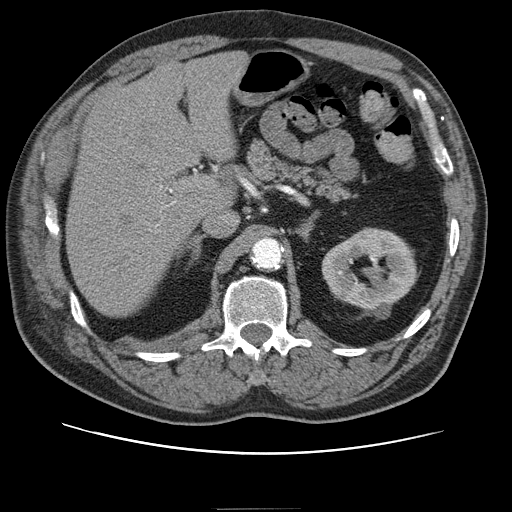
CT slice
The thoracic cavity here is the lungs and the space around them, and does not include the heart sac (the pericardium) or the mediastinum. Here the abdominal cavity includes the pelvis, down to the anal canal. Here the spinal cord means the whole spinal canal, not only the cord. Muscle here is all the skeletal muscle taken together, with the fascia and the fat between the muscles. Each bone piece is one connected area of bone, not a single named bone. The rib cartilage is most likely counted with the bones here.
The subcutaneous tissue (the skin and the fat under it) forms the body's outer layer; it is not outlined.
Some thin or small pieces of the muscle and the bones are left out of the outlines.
{"spinal_cord":[[[257,323],[259,324],[263,324],[267,326],[271,330],[271,334],[270,336],[266,340],[265,340],[260,345],[258,346],[256,346],[252,344],[250,342],[249,342],[247,340],[243,338],[240,334],[241,330],[245,326],[249,325],[250,324],[256,324]]],"bones":[{"outer":[[244,275],[262,275],[283,284],[288,302],[287,330],[295,337],[308,338],[312,342],[311,346],[294,346],[284,357],[271,348],[258,361],[240,348],[231,357],[221,348],[207,351],[201,349],[203,343],[216,338],[223,331],[221,305],[224,292],[231,281]],"hole":[[257,323],[259,324],[263,324],[267,326],[271,330],[271,334],[270,336],[266,340],[265,340],[260,345],[258,346],[256,346],[252,344],[250,342],[249,342],[247,340],[243,338],[240,334],[241,330],[245,326],[249,325],[250,324],[256,324]]},[[414,87],[418,87],[422,89],[427,96],[427,99],[433,112],[439,134],[453,164],[454,171],[451,175],[446,175],[443,173],[434,160],[434,157],[432,153],[432,143],[429,138],[427,125],[423,119],[421,110],[418,104],[413,98],[411,93],[411,89]],[[45,192],[46,192],[52,198],[55,204],[56,209],[57,210],[57,219],[58,220],[58,224],[59,225],[59,233],[58,234],[58,238],[57,239],[53,237],[49,233],[48,231],[48,229],[45,224],[45,210],[43,206],[43,197],[44,196],[44,193]],[[70,288],[71,288],[73,290],[74,293],[77,297],[77,299],[79,302],[79,304],[84,314],[84,317],[92,332],[91,334],[89,333],[85,328],[82,327],[74,320],[74,318],[70,311],[70,302],[69,301],[69,296],[68,295],[68,292]],[[135,351],[147,351],[150,353],[158,353],[159,352],[169,352],[170,351],[178,351],[180,353],[181,353],[182,356],[177,359],[175,359],[171,361],[164,361],[163,362],[155,362],[154,361],[150,361],[149,360],[144,360],[136,356],[134,354],[134,352]],[[427,307],[431,309],[431,314],[428,320],[424,324],[424,325],[411,336],[407,338],[404,338],[403,339],[400,339],[399,340],[397,340],[396,339],[398,337],[400,337],[403,334],[406,328],[415,319],[415,318],[421,312],[422,312],[424,309],[425,309]],[[453,216],[457,219],[457,221],[458,222],[458,225],[459,226],[459,240],[458,241],[458,244],[457,245],[457,248],[456,249],[456,252],[455,254],[453,256],[450,256],[449,254],[449,246],[448,245],[448,240],[449,239],[450,222],[451,221],[451,218]],[[334,347],[341,347],[342,348],[348,348],[349,347],[366,347],[367,348],[367,350],[364,353],[363,353],[362,354],[361,354],[360,355],[355,355],[354,356],[342,356],[341,355],[338,355],[337,354],[334,354],[331,351],[331,349],[332,348],[333,348]]],"abdominal_cavity":[[[248,40],[288,44],[399,88],[443,183],[445,250],[430,297],[392,337],[351,346],[304,316],[296,288],[289,305],[281,281],[244,274],[173,338],[105,339],[90,327],[60,257],[58,191],[77,130],[105,92],[154,64]]],"torso":[[[259,8],[350,25],[405,48],[434,73],[462,119],[485,184],[488,219],[483,274],[447,369],[429,390],[405,404],[337,423],[270,417],[244,417],[213,426],[156,422],[67,385],[22,341],[13,319],[5,257],[8,190],[41,116],[107,50],[176,18]]],"muscle":[{"outer":[[198,34],[213,34],[231,38],[250,36],[274,36],[281,38],[316,37],[350,42],[358,45],[364,45],[379,49],[395,56],[412,70],[426,79],[436,88],[447,103],[461,134],[476,195],[476,213],[474,223],[474,238],[472,243],[472,251],[468,261],[465,276],[461,283],[459,292],[456,297],[456,301],[453,305],[444,329],[435,344],[435,347],[426,358],[408,370],[392,384],[379,392],[344,405],[327,408],[305,409],[293,406],[278,398],[274,393],[271,392],[264,385],[257,386],[254,385],[249,389],[247,393],[240,397],[238,400],[231,404],[224,405],[221,408],[215,408],[203,413],[193,413],[171,409],[146,401],[132,394],[91,364],[81,361],[77,357],[74,356],[67,344],[62,340],[61,335],[58,332],[57,328],[49,316],[45,306],[38,297],[34,288],[31,274],[28,272],[24,263],[24,259],[20,247],[20,236],[19,235],[20,188],[22,184],[22,178],[24,175],[27,160],[38,133],[49,116],[66,98],[82,86],[99,76],[120,58],[138,49],[144,48],[150,45],[154,45],[177,38]],"holes":[[[248,40],[288,44],[393,83],[431,153],[411,93],[426,94],[454,171],[432,161],[443,183],[445,250],[420,310],[431,314],[411,336],[397,340],[403,329],[360,355],[334,354],[351,346],[304,316],[296,288],[287,330],[312,345],[284,357],[271,348],[258,361],[240,348],[231,357],[201,349],[224,328],[217,293],[171,361],[144,360],[74,320],[60,234],[48,231],[43,197],[57,206],[80,124],[105,92],[154,64]],[[453,216],[457,219],[457,221],[458,222],[458,225],[459,226],[459,240],[458,241],[458,244],[457,245],[457,248],[456,249],[456,252],[455,254],[453,256],[450,256],[449,254],[449,246],[448,245],[448,240],[449,239],[450,222],[451,221],[451,218]],[[42,152],[43,152],[44,153],[44,154],[45,155],[45,158],[44,159],[44,161],[43,162],[43,163],[42,164],[41,163],[41,160],[40,159],[40,157],[41,156],[41,153]]]}],"thoracic_cavity":[[[197,326],[195,332],[190,339],[187,340],[181,345],[173,347],[168,351],[150,352],[147,350],[130,350],[126,348],[120,348],[111,344],[111,341],[125,342],[126,343],[156,343],[159,341],[167,341],[170,339],[173,339]]]}